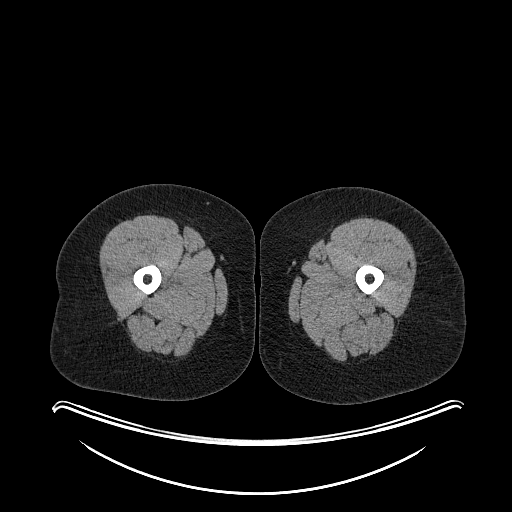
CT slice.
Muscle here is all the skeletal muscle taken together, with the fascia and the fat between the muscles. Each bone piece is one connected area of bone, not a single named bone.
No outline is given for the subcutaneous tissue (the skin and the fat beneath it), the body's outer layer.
{"bones":[[[365,263],[367,263],[368,264],[372,264],[378,267],[383,272],[384,274],[383,281],[381,283],[381,284],[371,294],[366,294],[364,293],[359,288],[359,287],[357,285],[355,281],[355,273],[356,271],[360,266],[361,266]],[[148,264],[154,264],[156,266],[157,266],[157,267],[160,270],[160,272],[161,273],[161,282],[159,286],[153,292],[152,292],[150,294],[146,294],[142,291],[141,291],[134,284],[133,282],[133,274],[134,272],[140,267],[144,266],[145,265],[147,265]]],"right_leg":[[[152,183],[172,183],[190,186],[227,201],[247,218],[255,237],[255,340],[252,357],[242,374],[228,386],[212,394],[185,401],[144,399],[78,386],[58,372],[49,354],[50,332],[58,299],[55,266],[63,242],[76,224],[93,207],[107,197],[127,188]]],"left_leg":[[[339,186],[361,186],[381,190],[418,209],[448,242],[463,274],[465,285],[465,339],[462,351],[453,367],[439,379],[423,387],[356,404],[324,403],[301,397],[284,389],[265,370],[258,347],[259,249],[260,236],[266,222],[278,209],[295,199],[315,191]]],"muscle":[{"outer":[[138,213],[170,214],[201,227],[212,236],[230,269],[230,277],[227,283],[228,313],[210,340],[189,356],[176,362],[152,360],[142,357],[132,349],[126,333],[116,322],[115,311],[109,303],[103,285],[99,266],[100,246],[106,234],[115,225],[128,216]],"hole":[[148,264],[154,264],[156,266],[157,266],[157,267],[160,270],[160,272],[161,273],[161,282],[159,286],[153,292],[152,292],[150,294],[146,294],[142,291],[141,291],[134,284],[133,282],[133,274],[134,272],[140,267],[144,266],[145,265],[147,265]]},{"outer":[[362,215],[373,215],[385,220],[405,234],[415,253],[417,263],[416,276],[409,303],[401,317],[393,339],[387,348],[369,361],[353,365],[343,365],[330,361],[311,351],[295,338],[287,319],[287,301],[294,275],[299,269],[309,248],[319,235],[339,222]],"hole":[[365,263],[367,263],[368,264],[372,264],[378,267],[383,272],[384,274],[383,281],[381,283],[381,284],[371,294],[366,294],[364,293],[359,288],[359,287],[357,285],[355,281],[355,273],[356,271],[360,266],[361,266]]}]}